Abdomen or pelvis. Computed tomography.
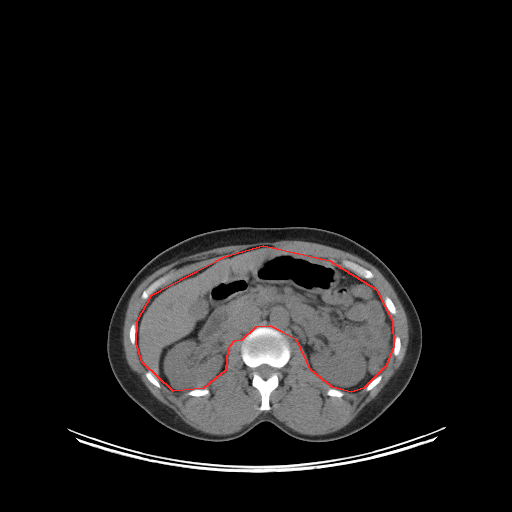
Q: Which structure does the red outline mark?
A: red: abdominal cavity.
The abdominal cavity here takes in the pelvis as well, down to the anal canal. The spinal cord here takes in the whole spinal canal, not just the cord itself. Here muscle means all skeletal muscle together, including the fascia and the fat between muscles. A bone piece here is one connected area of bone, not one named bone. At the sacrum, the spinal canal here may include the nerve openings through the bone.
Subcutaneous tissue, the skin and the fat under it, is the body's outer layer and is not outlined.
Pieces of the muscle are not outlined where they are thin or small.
{"abdominal_cavity":[[[263,245],[329,260],[376,289],[392,322],[393,346],[385,366],[363,388],[351,392],[332,387],[310,369],[297,340],[270,326],[255,327],[241,340],[233,341],[227,349],[225,370],[203,388],[173,391],[142,362],[136,343],[137,321],[152,294],[224,256]]],"bones":[{"outer":[[258,327],[270,327],[279,331],[287,339],[290,348],[290,357],[286,364],[279,370],[280,377],[278,385],[270,393],[269,410],[259,409],[261,404],[261,395],[259,391],[252,385],[251,383],[252,370],[245,364],[241,356],[241,344],[244,336],[251,330]],"hole":[[262,364],[266,364],[267,365],[268,365],[269,366],[274,368],[276,370],[275,371],[275,372],[274,372],[268,378],[267,378],[266,379],[264,379],[263,378],[262,378],[256,372],[256,371],[255,370],[255,369],[257,367],[258,367],[260,365],[261,365]]},[[168,273],[172,273],[173,274],[173,277],[171,279],[170,279],[169,281],[167,282],[167,283],[162,285],[159,288],[158,288],[153,293],[152,293],[151,295],[150,295],[147,299],[142,299],[141,298],[141,294],[142,292],[152,282],[153,282],[158,278]],[[343,259],[346,259],[347,260],[349,260],[350,261],[355,262],[357,264],[358,264],[359,265],[370,270],[373,274],[373,277],[372,278],[368,278],[367,279],[366,278],[361,277],[360,276],[357,275],[352,271],[343,267],[343,266],[341,263],[341,261]],[[386,296],[387,296],[388,297],[389,297],[393,302],[393,303],[394,304],[394,305],[396,308],[396,313],[395,314],[392,314],[390,312],[389,312],[388,311],[388,310],[387,309],[387,308],[385,306],[385,305],[384,304],[384,302],[383,301],[383,299]],[[204,388],[207,388],[209,390],[209,393],[208,394],[207,394],[206,395],[202,395],[201,396],[193,396],[192,395],[188,395],[187,394],[186,394],[186,393],[187,392],[188,392],[189,391],[190,391],[191,390],[193,390],[194,389],[203,389]],[[395,336],[398,336],[399,337],[399,338],[400,339],[400,342],[401,343],[401,346],[400,347],[400,351],[399,352],[399,354],[397,356],[395,356],[394,355],[394,354],[393,353],[393,347],[394,346],[394,337]],[[379,374],[381,374],[381,375],[382,376],[381,377],[381,379],[380,380],[380,381],[373,388],[372,388],[370,390],[369,390],[368,391],[367,391],[366,390],[365,390],[365,387],[376,376],[377,376]],[[133,323],[134,323],[136,325],[136,335],[135,336],[135,343],[134,344],[132,344],[131,343],[131,342],[130,341],[130,339],[129,338],[129,330],[130,329],[130,327],[131,326],[131,325]],[[147,371],[150,371],[151,372],[151,373],[159,381],[159,383],[160,384],[160,387],[157,387],[156,386],[155,386],[152,383],[151,383],[148,380],[148,379],[146,377],[146,376],[145,375],[145,373]],[[330,388],[335,388],[336,389],[338,389],[339,390],[341,390],[342,391],[343,391],[343,392],[344,393],[344,394],[340,398],[339,397],[336,397],[335,396],[330,396],[329,395],[328,395],[326,393],[327,392],[327,391]]],"spinal_cord":[[[262,364],[266,364],[267,365],[268,365],[269,366],[274,368],[276,370],[275,371],[275,372],[274,372],[268,378],[267,378],[266,379],[264,379],[263,378],[262,378],[256,372],[256,371],[255,370],[255,369],[257,367],[258,367],[260,365],[261,365]]],"muscle":[{"outer":[[280,240],[299,240],[300,241],[313,242],[314,243],[318,243],[319,244],[330,246],[354,254],[367,261],[377,268],[392,286],[405,311],[407,317],[407,320],[408,321],[408,344],[407,345],[407,348],[406,349],[404,358],[400,366],[395,371],[394,374],[378,394],[366,404],[348,424],[336,431],[327,433],[326,434],[320,434],[319,435],[309,435],[308,434],[299,433],[287,426],[283,422],[280,421],[270,412],[261,413],[251,422],[248,424],[246,424],[240,430],[233,433],[218,435],[217,434],[210,434],[198,430],[186,423],[182,420],[170,407],[158,400],[145,386],[143,382],[140,379],[139,376],[133,371],[129,366],[125,357],[125,352],[123,346],[123,326],[124,325],[125,314],[126,313],[128,302],[135,289],[144,279],[158,269],[166,265],[168,265],[170,263],[178,259],[180,259],[183,257],[195,253],[198,253],[202,251],[205,251],[206,250],[209,250],[218,247],[222,247],[223,246],[239,245],[240,244],[249,244],[250,243],[256,243],[257,242],[262,242],[263,241],[273,242],[274,241],[279,241]],"hole":[[263,245],[323,258],[342,268],[341,261],[346,259],[372,272],[373,277],[367,280],[382,300],[389,297],[396,308],[395,314],[388,314],[393,335],[401,343],[397,356],[392,350],[389,354],[380,372],[381,379],[373,388],[344,391],[340,398],[328,395],[332,387],[310,369],[303,346],[290,338],[290,357],[279,370],[278,385],[269,396],[269,410],[259,409],[261,395],[251,383],[252,370],[242,359],[242,341],[238,339],[229,345],[225,370],[206,387],[206,395],[176,392],[160,381],[157,387],[148,380],[147,371],[158,377],[142,362],[137,344],[129,338],[130,327],[137,324],[147,301],[141,298],[142,292],[168,273],[173,274],[169,284],[224,256]]}],"torso":[[[288,226],[320,228],[344,235],[373,252],[394,273],[410,297],[422,328],[420,356],[407,386],[374,421],[348,436],[331,441],[300,440],[267,421],[227,441],[192,438],[161,424],[125,393],[108,361],[108,326],[124,289],[150,259],[191,236],[232,227]]]}